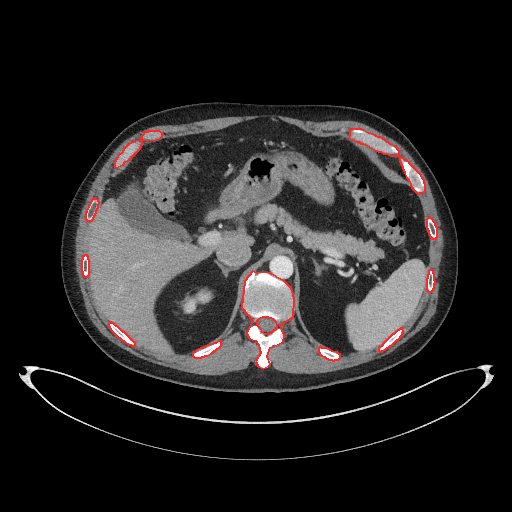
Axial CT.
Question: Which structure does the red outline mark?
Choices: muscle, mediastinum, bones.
Answer: red: bones.
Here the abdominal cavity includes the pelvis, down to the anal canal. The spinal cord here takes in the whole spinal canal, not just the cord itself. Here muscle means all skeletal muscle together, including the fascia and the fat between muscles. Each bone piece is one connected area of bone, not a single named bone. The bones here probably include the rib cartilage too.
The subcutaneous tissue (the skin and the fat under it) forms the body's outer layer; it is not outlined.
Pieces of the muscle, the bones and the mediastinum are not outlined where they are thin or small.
{"bones":[{"outer":[[263,368],[270,364],[267,356],[270,347],[283,341],[284,335],[280,325],[293,316],[294,298],[291,288],[284,281],[267,272],[256,273],[252,271],[244,281],[241,307],[252,320],[246,333],[249,338],[255,340],[258,344],[260,353],[255,361],[258,366]],"hole":[[265,333],[269,333],[271,332],[274,329],[275,329],[277,326],[277,324],[276,322],[273,319],[271,318],[269,318],[268,317],[262,317],[258,319],[256,321],[256,324],[259,327],[261,331]]},[[390,155],[398,155],[399,154],[399,151],[395,146],[390,144],[382,138],[380,137],[378,137],[373,134],[368,133],[361,129],[351,129],[349,130],[349,135],[348,137],[356,141],[358,141],[360,143],[363,143],[378,151],[380,151],[383,153],[386,153]],[[115,167],[123,164],[125,161],[128,160],[139,149],[142,144],[142,140],[143,139],[154,140],[161,137],[162,136],[162,133],[159,131],[148,131],[147,132],[144,132],[139,140],[133,141],[128,144],[124,148],[122,152],[118,155],[114,162],[114,166]],[[417,193],[419,192],[423,192],[425,190],[425,184],[424,183],[424,180],[422,178],[421,175],[409,163],[409,162],[401,157],[399,158],[399,161],[402,166],[402,168],[404,171],[404,173],[406,177],[408,179],[410,183],[410,185],[412,187],[412,188]],[[194,357],[201,357],[202,356],[204,356],[205,355],[207,355],[211,353],[214,350],[215,350],[221,345],[221,341],[218,341],[215,343],[213,343],[212,344],[207,345],[202,348],[200,348],[196,350],[194,352],[193,352],[192,354],[192,355]],[[134,346],[135,345],[135,343],[124,332],[123,332],[117,326],[116,326],[113,323],[112,323],[111,322],[110,322],[108,324],[108,325],[109,326],[110,329],[118,337],[119,337],[122,340],[123,340],[128,344],[130,344],[131,345],[133,345]],[[379,351],[381,351],[382,350],[385,349],[387,347],[388,347],[390,345],[391,345],[397,339],[398,339],[402,334],[402,332],[403,331],[402,328],[400,328],[398,330],[397,330],[393,334],[392,334],[382,344],[382,345],[378,348],[378,350]],[[89,221],[90,220],[91,220],[93,218],[93,217],[96,212],[96,210],[98,207],[98,204],[99,203],[99,202],[98,201],[98,200],[95,198],[94,199],[92,199],[91,200],[91,201],[86,210],[86,212],[85,213],[85,218],[87,220],[88,220]],[[332,360],[334,360],[335,359],[338,359],[340,357],[340,354],[339,354],[337,352],[332,351],[327,348],[322,348],[321,347],[319,347],[318,348],[318,351],[319,352],[319,353],[321,355],[324,356],[326,358],[327,358],[328,359],[331,359]],[[432,238],[435,238],[437,236],[437,228],[436,227],[436,226],[435,225],[435,223],[433,221],[433,220],[431,218],[427,218],[426,219],[426,227],[427,228],[427,229],[428,230],[428,233],[429,234],[429,235],[430,236],[430,237],[431,237]],[[84,276],[87,276],[89,274],[89,260],[88,259],[88,257],[87,256],[87,255],[84,255],[82,257],[82,259],[81,260],[81,270],[82,271],[82,274]],[[428,291],[431,291],[433,289],[433,288],[434,287],[434,283],[435,282],[435,281],[434,280],[434,274],[433,273],[433,271],[432,270],[429,270],[428,271],[428,274],[427,275],[427,278],[426,279],[426,289]]],"abdominal_cavity":[[[341,354],[377,348],[403,327],[425,291],[429,236],[421,203],[407,179],[373,149],[258,118],[152,141],[113,170],[88,231],[90,283],[109,321],[147,347],[192,352],[217,341],[233,323],[247,274],[286,254],[294,265],[300,327],[318,345]]],"torso":[[[245,393],[317,389],[389,369],[421,350],[451,307],[457,283],[458,241],[450,208],[434,174],[412,142],[375,113],[332,104],[225,101],[160,110],[130,123],[109,142],[71,200],[62,231],[61,275],[71,309],[92,341],[116,363],[152,378],[201,389]]],"mediastinum":[[[293,290],[293,265],[292,264],[292,261],[291,259],[286,255],[284,256],[276,256],[275,257],[271,258],[268,261],[265,262],[256,272],[258,271],[262,271],[263,270],[264,271],[267,271],[275,277],[277,277],[279,279],[282,279],[286,282],[287,282]],[[405,178],[406,178],[403,173],[403,171],[401,168],[401,166],[398,160],[394,156],[390,156],[389,155],[383,154],[380,152],[376,151],[376,152],[378,154],[382,161],[383,161],[384,163],[389,168],[396,172],[399,175]]],"spinal_cord":[[[265,333],[269,333],[271,332],[274,329],[275,329],[277,326],[277,324],[276,322],[273,319],[271,318],[269,318],[268,317],[262,317],[258,319],[256,321],[256,324],[259,327],[261,331]]],"muscle":[[[205,375],[221,375],[257,366],[254,361],[259,353],[257,344],[245,333],[251,320],[240,306],[234,323],[219,340],[222,345],[211,354],[201,358],[194,358],[192,353],[167,354],[136,343],[134,347],[118,338],[109,329],[108,320],[95,302],[89,276],[81,274],[80,260],[87,254],[89,226],[84,213],[92,198],[100,201],[117,155],[144,131],[159,130],[163,133],[160,138],[172,137],[219,129],[258,117],[281,119],[317,135],[347,136],[349,129],[361,128],[399,149],[400,154],[395,156],[408,160],[425,180],[426,190],[418,195],[425,219],[431,217],[438,228],[438,236],[430,238],[428,267],[434,271],[435,287],[431,292],[426,290],[401,337],[381,352],[376,349],[328,360],[318,353],[319,346],[301,330],[295,314],[282,323],[285,338],[281,344],[271,347],[269,367],[289,373],[321,373],[386,355],[425,326],[436,311],[443,248],[441,222],[424,173],[398,142],[353,120],[310,121],[261,114],[153,126],[125,139],[114,150],[91,185],[75,235],[75,269],[88,316],[104,336],[132,354],[153,363]]]}